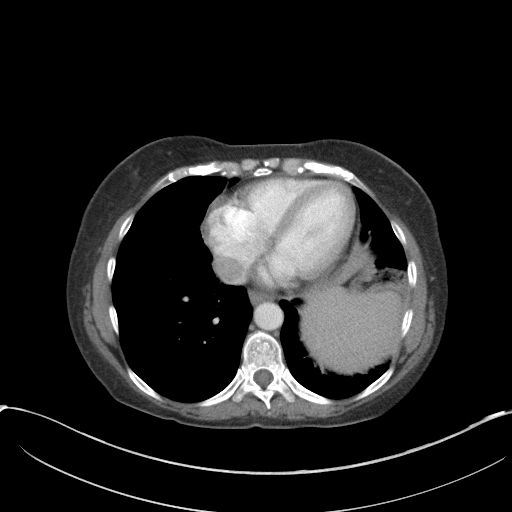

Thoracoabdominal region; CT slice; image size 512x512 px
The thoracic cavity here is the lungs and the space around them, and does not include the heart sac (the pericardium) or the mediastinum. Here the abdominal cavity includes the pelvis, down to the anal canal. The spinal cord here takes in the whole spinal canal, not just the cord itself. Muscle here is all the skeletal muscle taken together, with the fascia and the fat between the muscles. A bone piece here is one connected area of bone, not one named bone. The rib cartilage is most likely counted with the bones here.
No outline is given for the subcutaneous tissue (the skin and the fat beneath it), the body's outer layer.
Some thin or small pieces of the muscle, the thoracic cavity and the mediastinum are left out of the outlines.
{"abdominal_cavity":[[[368,232],[371,248],[379,258],[385,260],[378,259],[375,262],[377,267],[396,268],[407,279],[407,305],[399,338],[391,359],[367,373],[352,376],[324,374],[306,356],[298,338],[296,306],[301,301],[298,296],[331,277],[351,256],[356,242],[367,239]]],"thoracic_cavity":[[[208,175],[225,177],[226,183],[208,204],[199,225],[200,235],[212,256],[210,265],[218,282],[243,287],[252,313],[241,348],[241,360],[232,379],[207,398],[185,402],[161,395],[129,365],[120,342],[112,280],[121,241],[142,206],[155,193],[184,177]],[[295,298],[300,300],[295,306],[297,338],[305,351],[305,356],[311,360],[313,366],[321,374],[334,374],[343,377],[363,375],[390,360],[386,370],[356,394],[343,398],[329,398],[301,384],[293,376],[284,360],[280,339],[285,318],[280,301],[290,301]],[[354,186],[367,194],[388,219],[394,235],[403,248],[407,261],[406,275],[403,271],[393,266],[378,267],[376,264],[378,260],[385,262],[386,260],[379,257],[372,248],[372,238],[369,231],[366,239],[363,241],[360,239],[362,223],[360,207],[353,191]]],"pericardium":[[[271,174],[335,176],[341,178],[350,186],[357,203],[359,228],[350,256],[331,276],[315,287],[306,289],[301,293],[277,294],[226,282],[218,275],[214,267],[213,256],[202,237],[202,221],[208,207],[217,196],[244,178],[252,176],[268,176]]],"spinal_cord":[[[259,370],[267,370],[268,371],[269,371],[271,373],[271,374],[272,375],[272,379],[271,380],[271,381],[267,385],[266,385],[264,387],[263,387],[262,386],[261,386],[259,384],[258,384],[254,380],[254,374],[257,371],[258,371]]],"mediastinum":[[[245,288],[249,288],[256,291],[270,292],[277,295],[299,294],[297,297],[290,300],[281,299],[279,301],[279,305],[284,313],[284,318],[279,333],[280,343],[271,334],[260,329],[252,331],[248,333],[246,336],[248,327],[252,318],[253,309]],[[246,172],[248,173],[251,173],[252,175],[251,176],[244,177],[243,179],[238,181],[236,183],[232,185],[231,187],[226,189],[224,191],[220,193],[224,189],[227,183],[227,179],[226,177],[235,177],[236,176],[239,176]],[[213,259],[213,261],[212,262],[213,263],[213,267],[215,269],[215,271],[217,275],[226,283],[228,284],[235,284],[237,285],[234,285],[233,284],[232,284],[226,284],[225,283],[222,283],[221,282],[220,283],[219,282],[219,280],[214,273],[214,271],[211,265],[211,262]]],"bones":[{"outer":[[257,330],[268,333],[277,340],[286,366],[301,385],[331,399],[332,403],[315,403],[297,395],[290,402],[275,391],[269,409],[251,392],[246,393],[238,402],[230,397],[212,405],[198,406],[197,402],[215,395],[233,379],[242,360],[244,341],[248,334]],"hole":[[259,370],[267,370],[268,371],[269,371],[271,373],[271,374],[272,375],[272,379],[271,380],[271,381],[267,385],[266,385],[264,387],[263,387],[262,386],[261,386],[259,384],[258,384],[254,380],[254,374],[257,371],[258,371]]},[[273,157],[341,166],[363,182],[370,195],[335,175],[314,174],[310,171],[294,174],[279,168],[268,175],[259,176],[254,176],[251,171],[235,176],[218,173],[188,175],[152,192],[160,179],[178,168],[212,161],[239,162],[248,158],[261,160]],[[390,366],[393,366],[394,367],[394,370],[388,380],[385,383],[384,383],[378,389],[370,393],[368,395],[357,400],[352,400],[353,397],[354,397],[358,393],[362,391],[367,386],[368,386],[371,383],[376,380],[382,374],[383,374]],[[128,366],[130,367],[131,369],[143,381],[144,381],[152,389],[153,389],[157,393],[158,393],[162,397],[162,400],[158,400],[148,395],[146,393],[142,391],[132,381],[132,380],[129,377],[128,375],[128,373],[127,372],[127,370],[126,369],[126,368]],[[409,260],[413,260],[415,262],[415,264],[416,265],[416,281],[415,282],[415,285],[413,287],[412,287],[411,286],[410,286],[409,285],[409,284],[408,283],[408,279],[407,278],[407,265],[408,264],[408,261]],[[409,308],[412,309],[412,311],[413,312],[413,314],[412,315],[412,318],[411,319],[411,322],[410,323],[409,328],[406,334],[403,337],[401,337],[400,334],[401,333],[401,325],[402,324],[402,320],[403,319],[403,317],[404,316],[404,314],[406,310]],[[131,213],[133,213],[134,214],[134,217],[132,220],[132,222],[127,232],[125,234],[123,238],[120,241],[118,239],[118,234],[119,233],[119,230],[120,229],[120,227],[122,223],[124,221],[124,220],[127,217],[127,216]],[[392,219],[396,222],[397,222],[397,223],[401,228],[404,234],[404,236],[406,240],[406,245],[405,247],[403,247],[403,246],[401,244],[401,243],[399,241],[399,240],[397,238],[397,237],[395,235],[393,231],[393,229],[390,223],[390,220]],[[111,304],[112,304],[114,306],[114,308],[115,309],[115,311],[117,315],[117,321],[118,322],[118,329],[119,330],[119,335],[117,335],[116,334],[113,328],[113,326],[111,323],[111,320],[109,316],[109,312],[108,311],[108,308]],[[112,256],[114,256],[115,257],[115,267],[114,268],[114,271],[113,272],[113,276],[112,277],[112,279],[111,280],[111,282],[109,282],[109,281],[108,280],[108,278],[107,277],[107,262],[108,261],[108,259],[110,257],[111,257]]],"muscle":[[[157,180],[151,189],[153,194],[135,214],[131,212],[121,223],[117,234],[120,243],[116,256],[110,256],[106,262],[106,277],[111,283],[112,298],[112,303],[107,308],[108,316],[115,334],[119,337],[128,364],[125,368],[127,375],[142,392],[158,401],[162,401],[163,396],[179,402],[196,402],[198,407],[212,406],[230,398],[238,403],[246,394],[251,393],[269,410],[275,392],[290,403],[294,402],[297,396],[315,404],[331,405],[332,399],[343,399],[354,395],[352,401],[360,400],[385,384],[395,370],[390,362],[398,340],[400,336],[403,338],[407,334],[412,322],[413,309],[407,308],[408,284],[412,288],[416,285],[417,265],[413,259],[406,258],[404,248],[407,240],[402,228],[394,219],[389,220],[370,196],[372,194],[369,188],[405,224],[422,256],[427,294],[433,297],[435,312],[433,338],[422,359],[397,383],[372,400],[342,414],[323,418],[289,420],[257,416],[200,420],[159,407],[138,394],[126,384],[90,340],[83,323],[83,308],[86,286],[92,281],[100,248],[110,230],[118,218],[133,206]]],"torso":[[[177,134],[204,135],[230,144],[353,140],[400,164],[423,187],[437,213],[447,262],[446,325],[425,373],[390,411],[329,429],[202,429],[126,406],[115,400],[93,375],[73,339],[65,303],[66,273],[80,218],[100,181],[118,162],[150,141]]]}